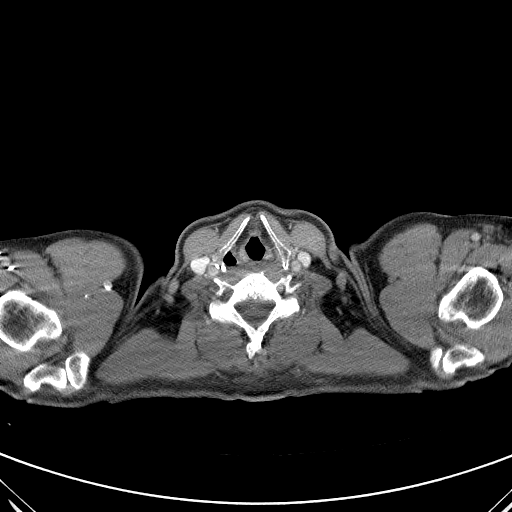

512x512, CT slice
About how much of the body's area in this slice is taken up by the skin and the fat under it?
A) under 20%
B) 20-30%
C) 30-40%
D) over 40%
Answer: B) 20-30%
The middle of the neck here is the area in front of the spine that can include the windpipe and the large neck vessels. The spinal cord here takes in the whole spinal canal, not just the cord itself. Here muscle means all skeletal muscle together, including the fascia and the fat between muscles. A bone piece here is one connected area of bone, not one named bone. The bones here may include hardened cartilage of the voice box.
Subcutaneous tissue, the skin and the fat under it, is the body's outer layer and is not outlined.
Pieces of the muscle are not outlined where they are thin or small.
{"left_arm":[[[467,213],[496,214],[497,215],[511,216],[511,366],[510,367],[507,367],[493,356],[481,352],[477,349],[464,346],[458,343],[447,329],[445,323],[445,317],[436,293],[436,284],[441,265],[441,261],[443,258],[443,252],[445,249],[451,229],[459,215]]],"middle_of_the_neck":[[[252,216],[258,216],[261,221],[274,247],[280,255],[282,267],[280,265],[276,269],[240,269],[229,272],[214,271],[208,273],[197,273],[191,269],[191,263],[197,257],[204,255],[209,256],[211,258],[216,254],[219,254],[219,256],[222,258],[232,249]],[[292,250],[292,251],[294,253],[297,250],[300,250],[302,252],[303,251],[306,251],[310,255],[310,263],[307,266],[305,266],[304,267],[300,267],[294,273],[291,273],[288,270],[288,263],[289,262],[289,258],[290,257],[290,256],[292,253]]],"spinal_cord":[[[249,299],[251,299],[252,300],[259,300],[260,301],[269,301],[271,303],[271,307],[267,315],[259,323],[258,323],[256,325],[254,324],[252,324],[247,320],[246,320],[242,316],[241,313],[239,311],[237,307],[237,305],[239,303],[241,302],[243,302]]],"right_arm":[[[18,237],[23,237],[42,257],[54,277],[59,288],[61,303],[62,304],[62,308],[63,309],[63,313],[64,314],[64,318],[65,319],[68,335],[58,351],[28,371],[23,376],[8,396],[3,392],[0,391],[0,240],[4,240],[10,238],[17,238]]],"head_and_neck":[[[253,199],[267,200],[280,206],[299,208],[315,214],[330,230],[337,246],[340,279],[301,397],[289,396],[277,400],[261,402],[248,402],[239,399],[225,400],[208,373],[172,287],[172,265],[176,245],[180,234],[186,226],[200,217],[221,212],[238,203]]],"torso":[[[72,228],[115,233],[131,240],[139,248],[145,265],[138,299],[154,280],[171,267],[171,287],[207,373],[224,400],[157,397],[117,404],[101,402],[81,408],[61,408],[28,404],[9,396],[28,372],[59,351],[69,335],[58,283],[46,261],[24,237]],[[411,211],[459,214],[450,229],[442,252],[435,284],[444,323],[458,344],[493,357],[507,368],[497,370],[488,377],[467,382],[461,387],[442,391],[426,390],[419,394],[323,393],[303,396],[341,279],[338,248],[347,254],[351,242],[363,240],[384,222]]],"bones":[{"outer":[[261,270],[273,282],[287,274],[292,275],[291,285],[300,282],[294,292],[298,297],[299,310],[273,321],[263,337],[261,351],[250,359],[245,348],[249,340],[245,331],[234,323],[212,319],[208,303],[217,297],[218,286],[213,278],[234,284],[247,272]],"holes":[[[249,299],[251,299],[252,300],[259,300],[260,301],[269,301],[271,303],[271,307],[267,315],[259,323],[258,323],[256,325],[254,324],[252,324],[247,320],[246,320],[242,316],[241,313],[239,311],[237,307],[237,305],[239,303],[241,302],[243,302]],[[227,289],[229,289],[230,290],[230,292],[229,293],[229,294],[228,295],[228,296],[226,298],[226,299],[225,299],[224,300],[223,300],[221,298],[221,297],[222,297],[223,296],[223,295],[224,294],[224,293],[227,290]]]},[[12,289],[24,290],[31,296],[45,302],[49,306],[55,309],[60,318],[60,322],[62,326],[62,333],[61,335],[58,338],[53,340],[50,339],[40,340],[34,347],[34,351],[31,352],[20,352],[17,351],[1,340],[0,339],[0,295],[8,290]],[[472,266],[481,266],[493,273],[496,276],[501,290],[503,293],[503,300],[497,314],[493,319],[486,324],[483,325],[477,330],[467,329],[465,327],[465,325],[459,320],[453,321],[452,322],[444,322],[440,320],[437,315],[439,300],[442,295]],[[78,350],[84,350],[92,357],[87,381],[81,389],[77,390],[70,385],[68,385],[67,387],[58,390],[53,386],[44,383],[40,386],[38,390],[31,392],[23,386],[24,376],[38,364],[46,363],[48,365],[62,367],[64,365],[65,359],[69,355]],[[455,344],[466,344],[470,347],[473,346],[477,348],[485,357],[483,362],[478,363],[474,366],[462,365],[452,374],[445,373],[440,366],[437,371],[435,371],[430,366],[430,363],[428,359],[429,350],[434,346],[440,346],[444,351],[448,348],[452,347]],[[260,212],[265,216],[267,219],[267,221],[269,223],[271,228],[275,234],[285,245],[291,249],[291,253],[288,258],[287,269],[286,270],[285,270],[283,267],[282,260],[281,259],[281,255],[275,247],[274,243],[269,236],[262,221],[259,217],[259,213]],[[248,214],[250,215],[250,218],[247,222],[242,232],[237,238],[235,243],[232,246],[231,249],[230,249],[222,257],[220,256],[220,254],[218,253],[218,250],[229,239],[229,238],[238,228],[238,227],[240,225],[241,222],[244,219],[244,218]]],"muscle":[{"outer":[[252,207],[321,231],[412,373],[148,378],[63,396],[34,393],[81,390],[93,357],[78,349],[32,367],[28,390],[0,381],[0,340],[31,353],[63,333],[45,301],[0,294],[0,250],[71,236],[117,244],[125,305],[110,351],[164,293],[188,235]],"hole":[[260,212],[294,253],[310,255],[310,263],[291,274],[290,284],[301,284],[294,292],[299,310],[273,321],[261,351],[250,359],[245,331],[212,319],[208,312],[208,303],[217,297],[213,278],[234,284],[250,271],[197,273],[191,263],[217,255],[244,218]]},{"outer":[[421,221],[437,226],[496,223],[511,231],[511,357],[477,365],[486,357],[473,345],[455,343],[444,350],[434,345],[428,350],[427,359],[429,366],[430,367],[435,372],[440,367],[443,372],[434,373],[430,369],[426,357],[389,325],[378,304],[378,291],[387,278],[378,255],[393,234]],"hole":[[472,266],[481,266],[493,273],[496,276],[501,290],[503,293],[503,300],[497,314],[493,319],[486,324],[483,325],[477,330],[467,329],[465,327],[465,325],[459,320],[453,321],[452,322],[444,322],[440,320],[437,315],[439,300],[442,295]]},[[280,266],[282,268],[283,268],[283,269],[285,271],[286,271],[287,270],[290,273],[287,273],[285,275],[282,275],[277,280],[276,280],[275,281],[273,281],[272,280],[271,280],[265,274],[265,272],[264,271],[264,270],[276,270]]]}